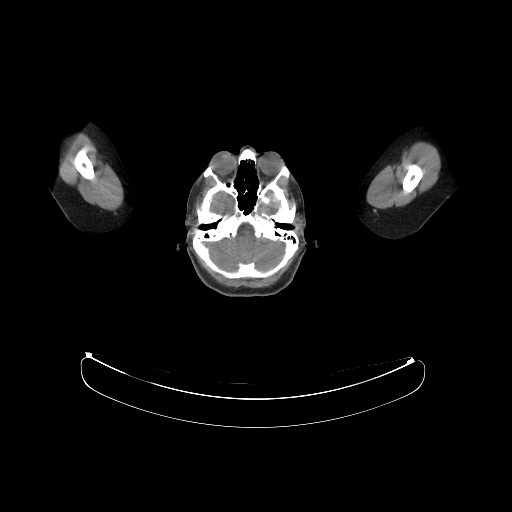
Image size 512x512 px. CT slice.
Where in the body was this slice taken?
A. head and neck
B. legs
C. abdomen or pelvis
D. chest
A. head and neck
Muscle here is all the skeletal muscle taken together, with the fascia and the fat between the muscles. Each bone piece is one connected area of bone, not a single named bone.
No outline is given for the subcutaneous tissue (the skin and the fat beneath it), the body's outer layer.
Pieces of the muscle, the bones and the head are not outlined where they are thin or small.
The bones appear in 4 outlined pieces: piece 1: (209, 164) (227, 183) (237, 168) (234, 186) (245, 213) (256, 201) (259, 180) (268, 183) (282, 164) (289, 170) (278, 184) (288, 199) (291, 194) (294, 198) (299, 243) (272, 275) (228, 278) (208, 267) (195, 252) (197, 197) (201, 201) (214, 184) (211, 176) (203, 175), around holes outlined by (244, 224) (251, 227) (253, 235) (257, 239) (262, 238) (283, 244) (281, 257) (276, 263) (265, 269) (260, 269) (256, 267) (254, 261) (239, 261) (236, 264) (235, 269) (228, 269) (218, 264) (212, 258) (208, 244) (218, 242) (223, 239) (235, 238) (240, 227) and by (220, 192) (221, 192) (222, 193) (227, 195) (231, 199) (231, 211) (225, 211) (224, 212) (220, 212) (219, 211) (216, 211) (215, 210) (213, 210) (212, 209) (211, 206) (212, 205) (212, 203) (214, 201) (214, 196) (215, 196) (216, 195) (216, 194) (217, 194) and by (268, 192) (272, 192) (274, 194) (275, 199) (278, 203) (278, 207) (277, 208) (276, 208) (274, 211) (272, 211) (271, 212) (268, 212) (261, 208) (261, 203) (264, 204) (266, 206) (269, 206) (272, 202) (272, 201) (271, 200) (271, 198) (268, 195) (267, 195) (267, 193) and by (212, 223) (216, 223) (216, 225) (215, 226) (215, 227) (214, 227) (213, 228) (209, 228) (208, 229) (202, 229) (201, 228) (200, 228) (200, 225) (211, 225) (212, 224) and by (276, 223) (278, 223) (279, 224) (288, 224) (289, 225) (290, 225) (291, 226) (291, 228) (284, 228) (283, 227) (281, 227) (280, 226) (277, 226) (276, 225); piece 2: (82, 147) (86, 151) (87, 151) (86, 152) (86, 154) (91, 161) (92, 165) (93, 166) (93, 169) (94, 170) (94, 174) (95, 176) (92, 180) (89, 180) (88, 179) (84, 178) (76, 169) (76, 168) (74, 166) (72, 162) (72, 160) (75, 156) (76, 153); piece 3: (414, 163) (415, 164) (417, 164) (423, 170) (423, 174) (422, 175) (422, 177) (420, 179) (417, 185) (409, 193) (407, 194) (404, 194) (403, 193) (403, 190) (402, 189) (402, 180) (404, 176) (406, 174) (406, 172) (409, 169) (410, 166); piece 4: (244, 148) (251, 148) (253, 152) (256, 155) (256, 158) (257, 159) (255, 163) (255, 167) (256, 168) (257, 172) (257, 176) (255, 168) (255, 164) (252, 160) (250, 161) (249, 163) (247, 163) (246, 161) (242, 160) (239, 165) (237, 166) (238, 165) (237, 164) (237, 157) (240, 153) (240, 151). The brain appears in 3 outlined pieces: piece 1: (244, 224) (251, 227) (253, 235) (257, 239) (262, 238) (283, 244) (281, 257) (276, 263) (265, 269) (260, 269) (256, 267) (254, 261) (239, 261) (236, 264) (235, 269) (228, 269) (218, 264) (212, 258) (208, 244) (218, 242) (223, 239) (235, 238) (240, 227); piece 2: (220, 192) (221, 192) (222, 193) (227, 195) (231, 199) (231, 211) (225, 211) (224, 212) (220, 212) (219, 211) (216, 211) (215, 210) (213, 210) (212, 209) (211, 206) (212, 205) (212, 203) (214, 201) (214, 196) (215, 196) (216, 195) (216, 194) (217, 194); piece 3: (268, 192) (272, 192) (274, 194) (275, 199) (278, 203) (278, 207) (277, 208) (276, 208) (274, 211) (272, 211) (271, 212) (268, 212) (261, 208) (261, 203) (264, 204) (266, 206) (269, 206) (272, 202) (272, 201) (271, 200) (271, 198) (268, 195) (267, 195) (267, 193). The left arm is outlined by (422, 123) (432, 124) (448, 131) (457, 132) (461, 136) (465, 146) (465, 152) (463, 157) (460, 182) (451, 197) (415, 234) (396, 240) (390, 240) (378, 237) (372, 233) (362, 223) (358, 217) (355, 208) (355, 198) (358, 188) (367, 172) (391, 142) (406, 129) (414, 125). The right arm is outlined by (69, 117) (80, 117) (87, 119) (95, 123) (106, 133) (113, 143) (129, 179) (133, 193) (132, 213) (129, 219) (121, 227) (110, 233) (103, 235) (91, 235) (78, 230) (70, 224) (53, 199) (41, 176) (34, 147) (34, 142) (32, 141) (32, 135) (40, 122) (49, 123). The head is outlined by (245, 144) (259, 157) (267, 150) (280, 154) (303, 195) (304, 237) (309, 243) (313, 239) (318, 242) (318, 247) (307, 245) (292, 281) (267, 296) (232, 297) (209, 289) (198, 277) (186, 246) (175, 249) (186, 237) (184, 219) (192, 184) (217, 151) (227, 150) (236, 156) with holes at (242, 161) (246, 162) (247, 164) (249, 164) (252, 161) (253, 162) (256, 176) (258, 180) (257, 187) (255, 190) (255, 196) (256, 197) (255, 201) (253, 203) (251, 209) (247, 212) (245, 212) (245, 210) (240, 206) (239, 191) (235, 186) (235, 180) (237, 175) (238, 167) and at (212, 223) (216, 223) (216, 225) (215, 226) (215, 227) (214, 227) (213, 228) (209, 228) (208, 229) (202, 229) (201, 228) (200, 228) (200, 225) (211, 225) (212, 224) and at (276, 223) (278, 223) (279, 224) (288, 224) (289, 225) (290, 225) (291, 226) (291, 228) (284, 228) (283, 227) (281, 227) (280, 226) (277, 226) (276, 225). The muscle appears in 5 outlined pieces: piece 1: (414, 141) (425, 141) (434, 145) (437, 148) (441, 159) (441, 168) (439, 173) (439, 177) (436, 183) (428, 190) (423, 192) (414, 198) (409, 203) (393, 213) (384, 212) (382, 210) (376, 209) (369, 205) (366, 201) (366, 193) (371, 181) (374, 177) (404, 148) (405, 146); inner edge: (414, 163) (415, 164) (417, 164) (423, 170) (423, 174) (422, 175) (422, 177) (420, 179) (417, 185) (409, 193) (407, 194) (404, 194) (403, 193) (403, 190) (402, 189) (402, 180) (404, 176) (406, 174) (406, 172) (409, 169) (410, 166); piece 2: (79, 132) (86, 133) (92, 139) (96, 144) (97, 147) (103, 153) (121, 182) (124, 193) (124, 200) (122, 205) (114, 211) (105, 210) (86, 202) (69, 185) (62, 181) (57, 175) (57, 165) (59, 160) (58, 149) (60, 145) (61, 138) (64, 137) (66, 134) (72, 134) with a hole at (82, 147) (86, 151) (87, 151) (86, 152) (86, 154) (91, 161) (92, 165) (93, 166) (93, 169) (94, 170) (94, 174) (95, 176) (92, 180) (89, 180) (88, 179) (84, 178) (76, 169) (76, 168) (74, 166) (72, 162) (72, 160) (75, 156) (76, 153); piece 3: (300, 243) (301, 244) (300, 250) (285, 275) (275, 284) (268, 287) (260, 288) (248, 288) (247, 287) (236, 288) (224, 286) (217, 283) (207, 275) (199, 264) (192, 250) (192, 246) (194, 252) (208, 268) (225, 278) (260, 279) (270, 277) (283, 268) (294, 255); piece 4: (208, 177) (211, 177) (212, 178) (213, 180) (213, 184) (206, 190) (201, 200) (200, 200) (200, 196) (199, 195) (196, 197) (196, 200) (195, 201) (196, 222) (194, 225) (194, 222) (191, 218) (191, 207) (192, 206) (192, 203) (194, 197) (200, 186) (204, 181) (205, 178); piece 5: (282, 177) (286, 179) (289, 178) (289, 186) (291, 190) (293, 191) (295, 197) (298, 199) (300, 219) (297, 223) (295, 222) (295, 216) (297, 209) (297, 205) (295, 201) (295, 198) (292, 193) (290, 194) (290, 198) (288, 198) (285, 194) (285, 189) (279, 184) (279, 181).